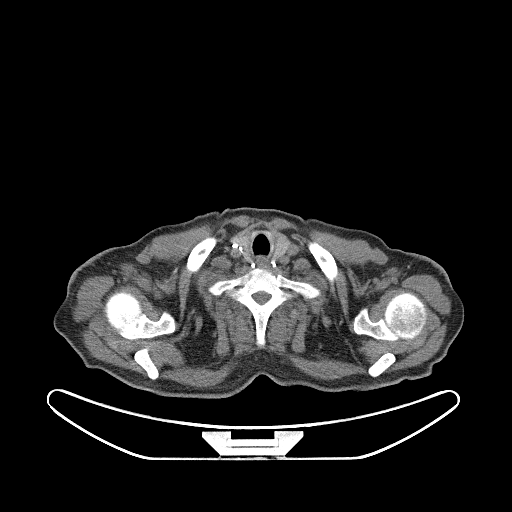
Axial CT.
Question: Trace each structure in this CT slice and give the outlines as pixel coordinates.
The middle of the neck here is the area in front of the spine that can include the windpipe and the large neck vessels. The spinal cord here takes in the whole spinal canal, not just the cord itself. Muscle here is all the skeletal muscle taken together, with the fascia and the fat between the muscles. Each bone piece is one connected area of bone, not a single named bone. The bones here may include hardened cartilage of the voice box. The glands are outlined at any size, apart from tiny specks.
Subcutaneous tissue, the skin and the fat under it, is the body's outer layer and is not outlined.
Answer: The thyroid glands appear in 2 outlined pieces: piece 1: (275, 237) (281, 237) (282, 238) (284, 238) (285, 239) (286, 239) (288, 241) (288, 242) (289, 243) (289, 245) (288, 246) (285, 253) (281, 257) (280, 257) (278, 259) (274, 259) (273, 258) (273, 254) (274, 253) (274, 250) (275, 249) (275, 242) (276, 241) (275, 240); piece 2: (246, 234) (249, 234) (249, 240) (248, 241) (248, 243) (249, 244) (248, 245) (250, 250) (250, 254) (248, 259) (247, 259) (244, 256) (244, 248) (238, 243) (236, 243) (234, 241) (232, 241) (234, 238) (241, 236) (242, 235) (245, 235). The bones appear in 7 outlined pieces: piece 1: (254, 267) (269, 270) (275, 275) (281, 274) (291, 280) (310, 283) (320, 290) (320, 294) (316, 297) (306, 299) (299, 294) (275, 308) (267, 320) (265, 344) (261, 347) (256, 344) (255, 321) (250, 310) (223, 293) (213, 295) (208, 291) (208, 287) (214, 282) (241, 276) with a hole at (257, 292) (265, 292) (266, 293) (267, 293) (269, 295) (270, 295) (270, 296) (269, 297) (269, 298) (264, 303) (263, 303) (262, 304) (260, 304) (259, 303) (258, 303) (253, 298) (253, 297) (252, 296) (253, 295) (253, 294) (254, 294) (255, 293) (256, 293); piece 2: (402, 292) (411, 292) (415, 294) (424, 303) (426, 307) (427, 316) (425, 324) (418, 335) (411, 339) (400, 338) (396, 340) (384, 340) (376, 339) (365, 334) (355, 333) (353, 329) (353, 320) (361, 308) (366, 307) (370, 320) (375, 322) (383, 317) (386, 305) (391, 298); piece 3: (118, 291) (128, 292) (135, 296) (140, 303) (142, 311) (148, 318) (153, 321) (158, 320) (161, 314) (164, 311) (167, 311) (170, 313) (175, 320) (175, 330) (172, 333) (163, 334) (152, 338) (128, 339) (120, 335) (107, 321) (104, 312) (105, 302) (107, 298) (114, 292); piece 4: (309, 241) (315, 241) (321, 246) (325, 248) (332, 255) (333, 258) (335, 260) (335, 262) (337, 266) (337, 275) (334, 279) (333, 283) (332, 284) (331, 284) (329, 280) (326, 277) (326, 276) (320, 268) (319, 265) (317, 263) (315, 258) (308, 249) (308, 246) (307, 245); piece 5: (208, 236) (214, 236) (217, 239) (217, 242) (214, 246) (214, 247) (211, 250) (209, 254) (206, 257) (203, 263) (198, 269) (198, 270) (195, 272) (190, 273) (190, 272) (187, 269) (186, 267) (187, 258) (191, 250) (194, 247) (194, 246) (200, 241) (201, 241); piece 6: (142, 348) (147, 348) (148, 349) (148, 353) (150, 356) (150, 358) (153, 362) (153, 363) (156, 366) (158, 370) (158, 377) (156, 379) (151, 379) (149, 378) (147, 375) (147, 373) (146, 371) (138, 363) (137, 363) (134, 359) (134, 354) (135, 352) (139, 349) (141, 349); piece 7: (386, 352) (390, 352) (391, 353) (392, 353) (395, 356) (395, 361) (391, 365) (390, 365) (382, 373) (381, 373) (379, 375) (378, 375) (377, 376) (376, 376) (375, 377) (372, 377) (371, 376) (370, 376) (368, 374) (368, 368) (381, 355) (382, 355) (384, 353) (385, 353). The muscle is outlined by (240, 214) (267, 219) (276, 216) (302, 227) (361, 238) (388, 256) (386, 267) (397, 267) (407, 276) (433, 275) (451, 299) (447, 330) (439, 349) (421, 364) (389, 372) (384, 372) (396, 356) (386, 351) (367, 368) (367, 374) (335, 379) (313, 377) (261, 350) (245, 356) (212, 387) (158, 378) (159, 370) (147, 347) (133, 354) (147, 376) (92, 356) (78, 335) (80, 325) (71, 315) (84, 279) (113, 275) (119, 264) (135, 263) (134, 257) (157, 235); inner edges: (256, 228) (286, 239) (293, 249) (287, 264) (267, 270) (320, 290) (316, 297) (306, 299) (299, 294) (275, 308) (267, 320) (265, 344) (261, 347) (256, 344) (250, 310) (223, 293) (213, 295) (208, 291) (214, 282) (252, 269) (232, 257) (230, 246) (234, 238), then (402, 292) (411, 292) (415, 294) (424, 303) (426, 307) (427, 316) (425, 324) (418, 335) (411, 339) (400, 338) (396, 340) (384, 340) (376, 339) (365, 334) (355, 333) (353, 329) (353, 320) (361, 308) (366, 307) (370, 320) (375, 322) (383, 317) (386, 305) (391, 298), then (118, 291) (128, 292) (135, 296) (140, 303) (142, 311) (148, 318) (153, 321) (158, 320) (161, 314) (164, 311) (167, 311) (170, 313) (175, 320) (175, 330) (172, 333) (163, 334) (152, 338) (128, 339) (120, 335) (107, 321) (104, 312) (105, 302) (107, 298) (114, 292), then (309, 241) (315, 241) (321, 246) (325, 248) (332, 255) (333, 258) (335, 260) (335, 262) (337, 266) (337, 275) (334, 279) (333, 283) (332, 284) (331, 284) (329, 280) (326, 277) (326, 276) (320, 268) (319, 265) (317, 263) (315, 258) (308, 249) (308, 246) (307, 245), then (208, 236) (214, 236) (217, 239) (217, 242) (214, 246) (214, 247) (211, 250) (209, 254) (206, 257) (203, 263) (198, 269) (198, 270) (195, 272) (190, 273) (190, 272) (187, 269) (186, 267) (187, 258) (191, 250) (194, 247) (194, 246) (200, 241) (201, 241). The spinal cord is outlined by (257, 292) (265, 292) (266, 293) (267, 293) (269, 295) (270, 295) (270, 296) (269, 297) (269, 298) (264, 303) (263, 303) (262, 304) (260, 304) (259, 303) (258, 303) (253, 298) (253, 297) (252, 296) (253, 295) (253, 294) (254, 294) (255, 293) (256, 293). The middle of the neck is outlined by (256, 228) (265, 228) (274, 237) (275, 241) (272, 254) (274, 260) (281, 258) (289, 246) (293, 249) (293, 254) (287, 264) (281, 267) (263, 268) (254, 266) (251, 268) (232, 257) (230, 254) (230, 246) (234, 242) (243, 248) (243, 256) (247, 260) (250, 258) (249, 233). The left arm is outlined by (391, 248) (396, 248) (404, 251) (421, 254) (427, 256) (437, 262) (446, 271) (454, 289) (462, 300) (464, 306) (464, 320) (462, 327) (449, 347) (447, 354) (440, 361) (437, 362) (434, 365) (391, 334) (386, 327) (383, 319) (381, 302) (383, 293) (386, 260) (387, 255). The right arm is outlined by (132, 242) (133, 242) (134, 249) (134, 263) (135, 264) (137, 296) (131, 311) (125, 318) (122, 324) (116, 329) (74, 350) (64, 338) (55, 330) (53, 326) (54, 313) (65, 297) (67, 284) (72, 272) (80, 264) (83, 263) (93, 255) (107, 248) (115, 246) (122, 246). The torso is outlined by (228, 207) (280, 209) (379, 236) (391, 247) (386, 255) (380, 302) (385, 327) (391, 335) (432, 364) (432, 372) (376, 389) (340, 392) (303, 385) (284, 386) (261, 374) (231, 396) (195, 398) (154, 394) (85, 366) (75, 351) (120, 327) (136, 302) (134, 241) (158, 226).